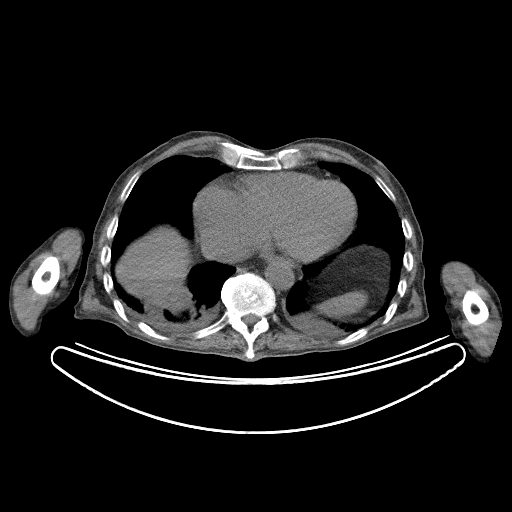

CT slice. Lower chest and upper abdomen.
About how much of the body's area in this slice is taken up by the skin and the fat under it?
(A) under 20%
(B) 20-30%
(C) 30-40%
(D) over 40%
(A) under 20%
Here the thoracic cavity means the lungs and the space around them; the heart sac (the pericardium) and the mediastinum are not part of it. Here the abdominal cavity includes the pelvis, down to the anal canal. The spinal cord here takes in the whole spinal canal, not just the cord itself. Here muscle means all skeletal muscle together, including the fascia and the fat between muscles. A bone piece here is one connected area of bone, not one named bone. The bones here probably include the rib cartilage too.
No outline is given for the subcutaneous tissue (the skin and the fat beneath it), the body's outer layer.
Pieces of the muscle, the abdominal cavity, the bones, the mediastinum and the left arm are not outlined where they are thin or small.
mediastinum 1: 274,254 281,254 300,266 305,265 302,267 303,275 301,279 291,287 286,297 279,303 277,303 274,289 270,283 263,277 252,271 245,271 232,275 236,270 235,267 219,262 235,264 245,262 254,258 267,258
mediastinum 2: 310,159 321,159 323,160 320,160 317,164 321,168 323,168 333,174 338,175 339,177 335,175 332,175 330,173 322,172 317,169 314,169 313,168 305,169 286,169 291,169 292,168 297,167 303,164 304,162 306,162 307,160
mediastinum 3: 193,218 193,226 195,230 196,240 197,241 197,243 199,244 199,247 200,248 201,254 206,259 208,260 215,260 210,260 209,261 207,261 203,263 198,263 198,261 195,256 195,253 194,252 194,243 193,242
mediastinum 4: 356,222 357,223 357,228 355,230 353,235 349,239 347,243 347,245 340,251 336,253 334,253 331,255 326,256 324,258 320,260 318,260 321,259 332,250 339,246 340,244 341,244 352,233 356,226
mediastinum 5: 231,167 233,167 234,168 236,168 237,169 242,169 243,170 259,170 260,171 275,171 248,171 247,172 238,172 237,173 228,173 227,174 220,175 218,177 216,177 222,173 229,172 231,170
pericardium: 306,169 317,170 339,178 355,197 357,205 355,226 351,233 339,245 321,258 310,263 300,265 281,253 274,253 267,257 254,257 235,263 208,259 202,254 194,226 192,204 196,194 206,184 220,176 228,174
abdominal cavity 1: 363,243 382,248 389,254 390,257 391,268 389,277 389,288 383,304 375,313 361,322 324,321 314,317 309,311 310,306 305,298 308,290 307,280 317,275 332,260 334,257 332,255 340,252 347,246 354,246
abdominal cavity 2: 164,222 177,227 187,238 192,238 193,252 197,264 194,265 189,271 185,286 183,286 180,292 150,306 144,306 137,299 131,295 128,295 118,283 114,275 114,268 116,261 124,248 132,240 142,234 148,228
bones 1: 245,272 252,272 269,283 275,294 278,317 274,321 268,316 269,327 255,338 254,356 250,359 244,354 247,349 245,338 228,324 204,337 193,336 194,331 212,324 223,314 225,306 221,289 224,282 230,276 with a hole at 248,314 253,314 254,315 255,315 256,316 257,316 259,318 259,319 255,323 254,323 252,325 248,325 246,323 245,323 244,322 244,321 242,319 242,318 245,315 247,315
bones 2: 221,141 233,142 247,148 261,151 268,155 285,148 297,147 303,152 305,155 305,158 303,161 303,163 297,166 285,169 284,168 279,170 260,170 259,169 237,168 224,163 218,158 220,150 219,142
bones 3: 49,255 53,255 58,258 58,261 59,262 59,279 56,285 53,288 53,289 50,292 50,293 48,294 45,294 44,295 41,295 40,294 36,293 32,288 31,286 31,279 35,271 38,268 42,261 47,256
bones 4: 466,290 471,290 472,291 474,291 477,294 478,294 478,295 480,297 481,297 481,298 484,301 488,308 488,311 489,312 488,318 481,324 479,324 478,325 473,325 472,324 470,324 468,322 462,310 462,299
bones 5: 364,327 366,327 368,329 368,331 367,333 363,337 360,338 358,340 356,341 354,341 351,343 348,343 345,345 339,345 336,343 336,341 337,340 339,339 341,339 347,336 349,334 361,328 363,328
bones 6: 138,170 140,170 141,171 141,174 138,178 138,179 136,181 136,182 134,184 127,198 123,203 120,201 120,194 123,188 125,186 125,185 127,183 129,179 132,176 132,175
bones 7: 141,321 147,324 149,326 150,326 158,333 162,334 167,337 169,337 169,339 168,340 162,340 161,339 159,339 158,338 155,338 152,336 148,335 146,333 142,331 138,327 137,325 137,322 140,322
bones 8: 376,175 377,175 378,176 379,176 383,180 383,181 387,185 387,186 391,190 391,191 394,194 394,195 395,196 395,201 394,202 393,202 385,194 385,193 379,187 379,186 376,183 376,182 374,180 374,177
bones 9: 115,214 116,214 118,216 118,223 117,224 117,228 116,229 116,231 115,232 115,234 114,235 113,238 112,239 109,239 107,237 107,227 108,226 108,225 109,224 109,223 110,222 110,221 111,220 112,217
bones 10: 114,298 118,298 120,300 121,303 123,305 123,307 125,310 125,313 126,314 126,315 127,316 127,317 129,320 129,321 128,322 125,321 117,313 116,310 114,308 114,307 113,306 113,304 112,303 112,301
bones 11: 104,245 108,245 110,247 110,261 109,262 109,263 106,266 103,266 103,265 101,263 101,261 100,260 100,254 101,253 101,250 102,249 102,248 103,247 103,246
bones 12: 392,301 395,301 396,302 397,302 397,308 396,309 396,310 395,311 394,314 391,317 391,318 386,323 383,324 382,323 382,321 384,318 384,315 385,314 385,312 386,311 387,308 389,306 390,303
bones 13: 406,250 409,250 411,252 411,253 412,254 412,256 413,257 413,265 412,266 412,267 411,268 411,269 409,271 407,271 406,270 406,269 403,266 403,255 404,254 404,252
bones 14: 105,272 107,272 108,273 109,273 110,274 110,275 111,276 111,277 112,278 112,280 113,281 113,289 110,292 110,293 108,293 105,290 105,289 104,288 104,286 103,285 103,274
bones 15: 403,217 404,217 407,219 407,220 408,221 408,222 409,223 409,224 411,227 411,236 409,239 405,239 405,237 404,236 404,234 403,233 403,230 402,229 402,225 401,224 401,219
bones 16: 321,151 325,151 326,152 327,152 328,153 329,153 330,154 331,154 336,157 338,157 338,158 339,159 336,161 333,161 332,160 325,160 324,159 322,159 317,156 317,153 318,152 320,152
muscle 1: 207,135 219,136 231,141 218,142 218,157 175,154 158,161 142,173 138,169 128,179 119,194 119,201 123,204 121,211 119,215 115,213 111,217 106,227 106,237 112,240 111,245 104,244 99,254 102,266 106,267 109,264 110,269 110,273 105,271 102,274 102,285 108,294 115,291 118,297 114,297 111,303 116,313 128,323 130,320 126,312 137,321 137,327 148,336 168,341 170,337 163,334 192,332 194,339 200,339 228,325 244,338 246,342 244,356 237,348 198,349 158,342 134,333 106,314 86,313 80,308 94,271 102,227 127,176 174,144
muscle 2: 67,229 77,230 81,237 80,252 75,266 67,279 66,286 62,288 59,295 52,301 48,301 46,303 37,318 33,330 26,330 20,325 13,308 14,283 17,277 29,265 30,262 41,252 49,249 55,238; inner edge: 49,255 53,255 58,258 58,261 59,262 59,279 56,285 53,288 53,289 50,292 50,293 48,294 45,294 44,295 41,295 40,294 36,293 32,288 31,286 31,279 35,271 38,268 42,261 47,256
muscle 3: 451,262 459,262 467,266 473,272 476,280 489,293 496,306 498,316 503,318 495,345 489,357 482,357 477,353 468,339 462,333 462,329 457,323 457,316 452,306 450,295 445,288 442,277 444,267 446,264, around a hole outlined by 466,290 471,290 472,291 474,291 477,294 478,294 478,295 480,297 481,297 481,298 484,301 488,308 488,311 489,312 488,318 481,324 479,324 478,325 473,325 472,324 470,324 468,322 462,310 462,299
muscle 4: 387,184 399,197 414,229 417,243 417,271 413,286 420,298 422,313 420,316 405,319 359,340 368,333 369,329 367,327 376,320 383,317 381,323 384,325 395,314 398,302 392,299 396,293 402,298 407,289 407,280 401,277 402,268 409,272 414,265 412,252 409,249 405,250 405,240 411,238 412,227 406,217 400,218 398,215 394,205 396,196
muscle 5: 278,315 284,322 292,328 308,334 310,336 326,339 341,338 335,341 337,345 341,346 305,348 295,350 279,350 266,348 255,356 254,342 256,338 260,334 266,332 269,329 270,327 269,316 275,322 279,318
muscle 6: 305,142 326,144 344,150 365,165 373,169 379,175 376,174 372,177 364,171 350,164 337,161 340,159 338,156 325,150 321,150 316,153 316,156 319,158 310,158 304,161 306,155 299,147 297,146 288,147
thoracic cavity 1: 175,155 216,158 230,170 196,192 191,238 167,221 148,227 123,248 114,264 115,280 150,307 180,293 198,264 215,261 235,270 221,286 219,318 193,331 160,333 126,311 114,289 111,246 124,203 141,175
thoracic cavity 2: 324,160 373,178 393,203 404,237 400,278 383,316 337,338 300,331 276,312 303,278 303,267 333,257 306,280 304,298 314,318 337,323 375,314 392,268 382,247 348,245 358,228 356,197 338,174 318,164
torso: 190,130 223,132 264,149 304,137 330,137 351,143 379,159 404,188 422,232 424,288 429,317 351,349 264,357 253,362 164,348 131,337 114,324 75,318 74,305 84,277 93,230 113,183 140,156 168,138
right arm: 68,224 77,224 81,226 85,232 85,240 83,243 83,254 81,265 75,283 67,298 56,308 51,310 44,316 39,332 33,337 25,337 20,334 13,326 8,311 8,291 11,278 22,261 36,247 58,228
left arm: 450,259 462,260 475,268 494,288 500,299 503,312 503,318 495,345 489,359 486,363 481,363 474,359 467,348 462,343 457,341 451,332 450,321 444,308 446,298 443,294 439,283 440,267 444,261
spinal cord: 248,314 253,314 254,315 255,315 256,316 257,316 259,318 259,319 255,323 254,323 252,325 248,325 246,323 245,323 244,322 244,321 242,319 242,318 245,315 247,315